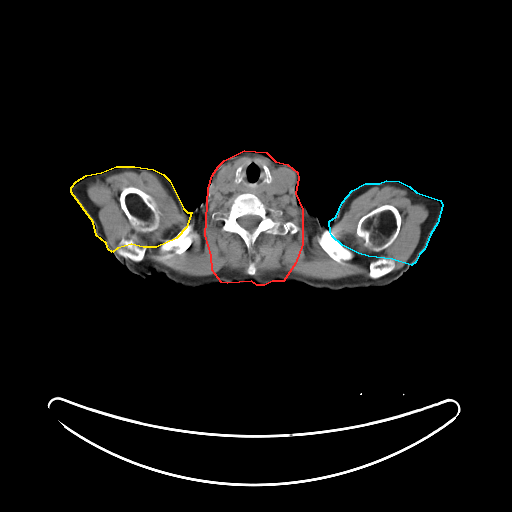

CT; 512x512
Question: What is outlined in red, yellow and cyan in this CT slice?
Answer: red: head and neck; yellow: right arm; cyan: left arm.
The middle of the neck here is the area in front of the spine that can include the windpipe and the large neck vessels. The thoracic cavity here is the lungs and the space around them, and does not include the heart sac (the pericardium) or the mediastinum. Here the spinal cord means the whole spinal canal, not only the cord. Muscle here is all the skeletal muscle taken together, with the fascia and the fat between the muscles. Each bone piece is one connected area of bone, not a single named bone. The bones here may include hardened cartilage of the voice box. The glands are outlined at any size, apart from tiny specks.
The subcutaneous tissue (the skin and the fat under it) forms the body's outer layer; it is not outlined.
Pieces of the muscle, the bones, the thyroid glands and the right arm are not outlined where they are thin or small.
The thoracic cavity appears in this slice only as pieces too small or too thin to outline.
The head and neck is outlined by (244, 150) (266, 152) (275, 161) (287, 164) (297, 172) (298, 178) (295, 193) (302, 209) (302, 244) (295, 263) (283, 281) (272, 281) (264, 285) (257, 285) (251, 281) (227, 283) (221, 282) (212, 270) (211, 255) (205, 235) (208, 188) (212, 175) (218, 166) (224, 160). The right arm is outlined by (116, 166) (134, 166) (153, 169) (163, 174) (169, 180) (183, 208) (187, 212) (191, 212) (186, 227) (176, 238) (156, 247) (143, 247) (131, 244) (117, 248) (112, 252) (108, 249) (106, 243) (96, 235) (93, 222) (71, 192) (71, 187) (76, 181) (86, 175) (101, 172). The left arm is outlined by (386, 180) (399, 181) (409, 186) (416, 192) (440, 200) (442, 205) (437, 223) (430, 234) (424, 249) (419, 254) (415, 262) (411, 265) (392, 259) (368, 256) (358, 253) (342, 245) (332, 236) (330, 232) (329, 221) (336, 216) (342, 202) (352, 190) (365, 183) (379, 183). The spinal cord is outlined by (248, 215) (251, 215) (252, 216) (257, 216) (258, 217) (259, 217) (259, 221) (258, 222) (257, 225) (255, 227) (255, 228) (252, 231) (249, 231) (248, 230) (247, 230) (244, 227) (243, 227) (238, 222) (238, 219) (239, 218) (240, 218) (243, 216) (247, 216). The bones appear in 8 outlined pieces: piece 1: (242, 193) (256, 195) (268, 210) (271, 208) (282, 211) (282, 214) (274, 215) (273, 218) (282, 222) (290, 221) (298, 230) (293, 234) (288, 232) (284, 235) (262, 232) (249, 252) (237, 233) (223, 231) (221, 228) (224, 222) (212, 217) (215, 212) (226, 213) (234, 198), around a hole outlined by (248, 215) (251, 215) (252, 216) (257, 216) (258, 217) (259, 217) (259, 221) (258, 222) (257, 225) (255, 227) (255, 228) (252, 231) (249, 231) (248, 230) (247, 230) (244, 227) (243, 227) (238, 222) (238, 219) (239, 218) (240, 218) (243, 216) (247, 216); piece 2: (384, 204) (390, 204) (393, 205) (397, 208) (399, 211) (401, 216) (400, 229) (397, 237) (388, 247) (379, 252) (374, 252) (366, 247) (364, 245) (364, 240) (361, 237) (357, 235) (356, 233) (357, 224) (358, 221) (362, 216) (371, 210) (376, 208) (378, 206); piece 3: (129, 186) (132, 186) (138, 188) (145, 193) (150, 195) (155, 200) (157, 204) (157, 208) (160, 212) (160, 223) (159, 226) (155, 230) (149, 233) (140, 233) (139, 232) (136, 232) (132, 227) (127, 216) (123, 211) (119, 201) (119, 196) (122, 189) (125, 187) (128, 187); piece 4: (187, 224) (191, 224) (193, 227) (193, 230) (197, 234) (197, 235) (192, 240) (192, 242) (190, 246) (183, 253) (176, 254) (170, 258) (162, 260) (159, 257) (159, 255) (160, 254) (160, 252) (159, 251) (159, 246) (160, 244) (164, 240) (172, 238) (185, 225); piece 5: (333, 226) (336, 226) (338, 229) (336, 233) (336, 237) (337, 239) (345, 247) (351, 250) (354, 255) (350, 260) (347, 260) (345, 262) (345, 264) (341, 264) (337, 262) (335, 260) (334, 260) (321, 247) (318, 241) (318, 238) (320, 236) (322, 231) (325, 228) (330, 228); piece 6: (134, 234) (136, 234) (139, 238) (138, 241) (139, 245) (142, 246) (145, 244) (147, 246) (146, 251) (144, 254) (144, 258) (142, 261) (139, 262) (127, 259) (120, 255) (117, 252) (119, 242) (121, 239) (122, 238) (128, 239); piece 7: (381, 256) (383, 256) (386, 258) (391, 258) (393, 259) (395, 262) (395, 266) (393, 270) (387, 273) (385, 275) (379, 278) (377, 278) (376, 279) (372, 279) (369, 277) (369, 264) (372, 260) (374, 260) (378, 257) (380, 257); piece 8: (263, 164) (265, 164) (268, 167) (268, 168) (269, 169) (269, 171) (270, 172) (270, 173) (272, 176) (272, 180) (270, 183) (267, 183) (266, 182) (264, 182) (264, 179) (265, 178) (266, 175) (265, 174) (265, 172) (264, 171) (264, 169) (262, 166) (262, 165). The torso appears in 2 outlined pieces: piece 1: (302, 205) (310, 212) (315, 213) (322, 224) (328, 222) (331, 236) (342, 246) (364, 256) (392, 260) (408, 265) (410, 266) (408, 270) (390, 284) (379, 287) (358, 287) (330, 290) (325, 288) (314, 288) (303, 283) (284, 281) (289, 276) (292, 267) (296, 263) (303, 244); piece 2: (205, 200) (205, 243) (210, 255) (212, 273) (220, 282) (196, 287) (183, 287) (176, 285) (163, 274) (153, 273) (145, 278) (142, 278) (127, 270) (115, 258) (112, 253) (117, 249) (123, 247) (134, 245) (143, 248) (156, 248) (173, 241) (187, 227) (191, 219) (193, 210). The middle of the neck is outlined by (252, 157) (259, 158) (265, 163) (261, 165) (265, 175) (263, 179) (264, 183) (270, 184) (280, 179) (286, 183) (286, 190) (279, 194) (227, 193) (223, 191) (220, 187) (221, 182) (233, 181) (236, 184) (239, 183) (242, 179) (240, 175) (242, 166) (238, 165) (247, 158). The muscle is outlined by (245, 155) (263, 156) (293, 172) (295, 204) (324, 228) (318, 244) (337, 263) (345, 265) (355, 255) (333, 225) (372, 187) (403, 189) (427, 207) (417, 245) (398, 269) (393, 258) (381, 255) (369, 262) (369, 278) (337, 279) (283, 270) (255, 275) (252, 260) (247, 274) (224, 267) (211, 275) (184, 275) (144, 260) (148, 246) (139, 244) (136, 233) (122, 237) (114, 249) (87, 195) (89, 182) (126, 170) (152, 173) (179, 211) (197, 221) (220, 169), around holes outlined by (252, 157) (259, 158) (277, 180) (287, 185) (279, 194) (256, 195) (268, 210) (282, 211) (274, 219) (290, 221) (298, 230) (284, 235) (262, 232) (249, 252) (242, 238) (237, 233) (223, 231) (224, 222) (213, 219) (212, 215) (226, 213) (239, 194) (221, 189) (226, 174) and by (384, 204) (390, 204) (393, 205) (397, 208) (399, 211) (401, 216) (400, 229) (397, 237) (388, 247) (379, 252) (374, 252) (366, 247) (364, 245) (364, 240) (361, 237) (357, 235) (356, 233) (357, 224) (358, 221) (362, 216) (371, 210) (376, 208) (378, 206) and by (129, 186) (132, 186) (138, 188) (145, 193) (150, 195) (155, 200) (157, 204) (157, 208) (160, 212) (160, 223) (159, 226) (155, 230) (149, 233) (140, 233) (139, 232) (136, 232) (132, 227) (127, 216) (123, 211) (119, 201) (119, 196) (122, 189) (125, 187) (128, 187) and by (187, 224) (191, 224) (193, 227) (193, 230) (197, 234) (197, 235) (192, 240) (192, 242) (190, 246) (183, 253) (176, 254) (170, 258) (162, 260) (159, 257) (159, 255) (160, 254) (160, 252) (159, 251) (159, 246) (160, 244) (164, 240) (172, 238) (185, 225). The thyroid glands appear in 2 outlined pieces: piece 1: (230, 171) (232, 171) (233, 172) (233, 176) (232, 177) (232, 179) (233, 180) (232, 181) (227, 181) (226, 180) (226, 178) (225, 177) (226, 176) (226, 174) (228, 172) (229, 172); piece 2: (274, 176) (275, 177) (275, 178) (276, 179) (275, 180) (274, 180) (273, 180) (273, 179) (273, 178) (273, 177).